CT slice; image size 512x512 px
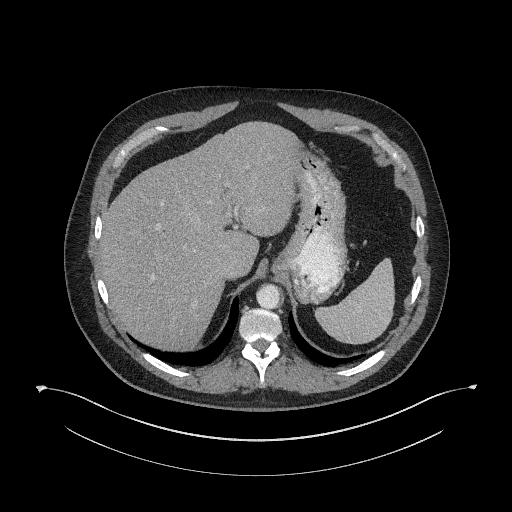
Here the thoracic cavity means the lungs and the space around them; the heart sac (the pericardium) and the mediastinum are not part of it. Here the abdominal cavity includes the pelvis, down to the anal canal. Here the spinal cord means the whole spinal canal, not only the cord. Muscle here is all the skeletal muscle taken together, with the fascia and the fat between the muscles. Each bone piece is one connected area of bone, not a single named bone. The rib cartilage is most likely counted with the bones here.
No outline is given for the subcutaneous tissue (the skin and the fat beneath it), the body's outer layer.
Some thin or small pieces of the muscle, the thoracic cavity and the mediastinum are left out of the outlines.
bones 1: [[260,387],[263,387],[265,385],[264,374],[267,366],[280,355],[280,348],[276,340],[282,332],[282,326],[280,318],[276,313],[261,308],[252,308],[242,312],[238,324],[238,333],[244,342],[244,346],[241,351],[242,357],[250,361],[257,369],[260,378]] with a hole at [[262,355],[263,355],[263,352],[264,351],[264,350],[266,348],[266,347],[268,345],[268,343],[267,342],[266,342],[264,340],[261,339],[260,340],[258,340],[256,342],[255,342],[253,344],[253,346],[255,348],[256,348],[261,353],[261,354]]
bones 2: [[114,168],[116,168],[118,166],[122,159],[124,158],[134,147],[139,145],[142,142],[152,137],[154,137],[159,133],[168,132],[169,129],[166,127],[158,125],[151,128],[148,128],[140,132],[136,136],[130,139],[121,148],[117,154],[113,163],[113,167]]
bones 3: [[340,376],[351,376],[354,374],[361,372],[371,367],[378,362],[383,357],[386,352],[386,349],[381,349],[379,350],[374,354],[371,355],[366,359],[363,360],[361,362],[352,367],[346,368],[345,369],[341,369],[336,371],[335,373],[337,375],[339,375]]
bones 4: [[178,377],[186,377],[187,376],[190,376],[191,374],[189,372],[186,372],[183,370],[180,370],[174,368],[172,366],[163,362],[161,360],[156,358],[147,352],[143,352],[141,353],[141,355],[144,359],[156,368],[166,373]]
bones 5: [[403,171],[405,171],[406,170],[406,165],[403,162],[401,157],[397,153],[397,152],[385,140],[384,140],[379,135],[379,134],[375,132],[371,132],[369,135],[370,137],[372,138],[379,145],[379,146],[381,147],[381,148],[388,152],[395,158],[399,166]]
bones 6: [[410,305],[412,305],[414,303],[420,291],[420,288],[422,284],[422,280],[421,279],[421,276],[420,275],[417,275],[416,277],[416,279],[412,285],[412,287],[410,291],[410,300],[409,301],[409,304]]
bones 7: [[109,308],[109,304],[108,303],[108,296],[107,295],[107,291],[106,290],[105,285],[103,281],[101,279],[97,279],[96,281],[96,283],[97,284],[97,288],[98,289],[99,294],[101,297],[101,299],[102,301],[105,304],[105,305]]
bones 8: [[419,239],[420,239],[423,236],[423,235],[424,234],[424,224],[423,223],[423,221],[422,220],[422,219],[421,218],[421,217],[419,215],[418,215],[416,217],[416,236],[417,237],[417,238],[418,238]]
bones 9: [[97,240],[98,240],[100,238],[100,237],[101,236],[101,230],[102,229],[102,220],[101,219],[101,218],[100,217],[100,216],[99,215],[98,215],[96,217],[96,219],[95,220],[95,227],[94,228],[94,236],[95,237],[95,238]]
bones 10: [[354,132],[359,132],[360,131],[361,131],[362,130],[362,128],[361,127],[360,127],[359,126],[357,126],[356,125],[353,125],[352,126],[335,126],[334,127],[334,129],[335,130],[341,130],[342,131],[353,131]]
muscle: [[302,395],[340,390],[349,387],[360,380],[362,380],[375,373],[417,331],[425,316],[426,307],[428,303],[429,285],[430,284],[430,276],[431,275],[431,266],[429,259],[429,227],[427,220],[427,210],[426,209],[424,194],[420,184],[420,180],[413,163],[401,145],[372,123],[370,123],[357,117],[348,114],[345,114],[341,112],[334,111],[330,109],[318,109],[312,107],[306,107],[295,104],[285,103],[280,101],[269,101],[268,100],[234,100],[216,105],[210,105],[204,108],[201,108],[192,111],[186,111],[185,112],[180,112],[170,115],[166,115],[145,122],[138,127],[126,139],[118,144],[109,153],[103,161],[98,171],[98,173],[95,178],[94,186],[92,191],[92,195],[90,201],[90,208],[89,209],[90,220],[89,221],[88,239],[86,245],[86,253],[90,268],[89,280],[93,292],[95,309],[96,310],[98,321],[102,330],[105,334],[121,347],[133,359],[145,369],[178,388],[182,388],[196,392],[208,393],[209,394],[242,394],[243,393],[252,392],[259,389],[271,389],[272,390],[293,391]], around a hole outlined by [[260,387],[265,385],[264,374],[267,366],[280,355],[280,348],[276,340],[282,332],[282,326],[274,309],[279,309],[284,314],[292,338],[311,361],[327,367],[355,365],[336,371],[337,375],[351,376],[378,362],[386,352],[383,346],[391,338],[403,316],[408,294],[410,294],[409,304],[412,305],[420,291],[422,280],[421,276],[416,274],[415,238],[420,239],[423,236],[424,224],[419,215],[415,216],[411,191],[402,172],[406,170],[406,165],[379,134],[375,132],[371,132],[368,136],[359,134],[362,128],[356,125],[335,126],[334,131],[316,132],[274,106],[252,103],[241,106],[205,127],[191,132],[173,132],[155,138],[159,133],[169,131],[168,128],[158,125],[130,139],[121,148],[113,163],[113,167],[117,169],[108,194],[105,217],[103,221],[99,215],[96,217],[94,236],[100,240],[102,278],[97,279],[96,283],[101,299],[111,310],[120,329],[148,351],[141,353],[146,361],[171,375],[190,376],[189,372],[170,365],[197,367],[210,363],[223,351],[237,327],[244,342],[242,357],[250,361],[257,369]]
spinal cord: [[262,355],[263,355],[263,352],[264,351],[264,350],[266,348],[266,347],[268,345],[268,343],[267,342],[266,342],[264,340],[261,339],[260,340],[258,340],[256,342],[255,342],[253,344],[253,346],[255,348],[256,348],[261,353],[261,354]]
torso: [[236,412],[303,410],[371,393],[408,369],[438,321],[450,266],[445,213],[420,137],[405,118],[383,103],[358,94],[317,88],[174,88],[148,95],[124,108],[104,126],[91,148],[68,217],[63,247],[68,300],[80,330],[108,369],[132,388],[174,402]]
abdominal cavity: [[336,357],[382,347],[403,316],[415,279],[414,205],[392,156],[364,134],[316,132],[274,106],[252,103],[203,128],[151,139],[123,159],[108,194],[100,239],[102,279],[120,329],[161,351],[200,349],[226,325],[246,284],[272,278],[285,288],[303,339]]
mediastinum: [[290,334],[288,318],[292,309],[289,306],[289,298],[284,288],[272,279],[260,280],[246,285],[235,299],[237,300],[238,318],[234,332],[237,327],[238,319],[243,310],[252,307],[261,307],[272,311],[274,309],[279,309],[286,318],[286,323]]
thoracic cavity 1: [[186,367],[197,367],[210,363],[223,351],[225,347],[229,343],[237,318],[236,300],[235,300],[233,304],[231,315],[227,325],[215,340],[200,350],[186,353],[161,352],[144,345],[130,337],[147,350],[148,352],[150,352],[158,358],[170,364],[181,365]]
thoracic cavity 2: [[327,367],[338,367],[339,366],[351,365],[361,361],[378,350],[370,354],[358,355],[347,358],[336,358],[324,354],[310,346],[298,334],[294,326],[293,311],[292,312],[291,311],[289,318],[289,322],[291,329],[291,335],[295,343],[306,357],[311,361]]